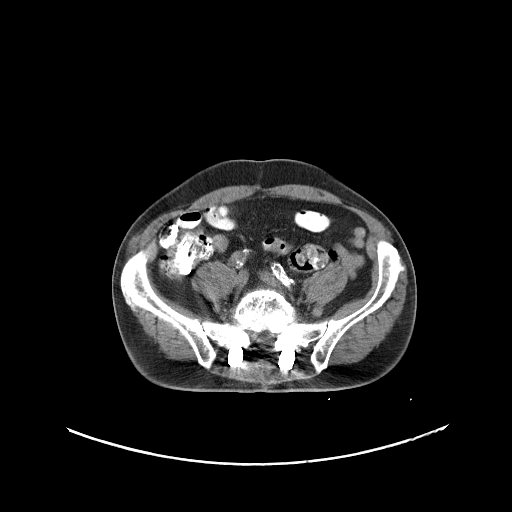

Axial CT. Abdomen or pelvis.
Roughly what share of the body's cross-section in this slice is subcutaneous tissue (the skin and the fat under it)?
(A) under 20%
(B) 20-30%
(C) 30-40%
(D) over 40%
Answer: (B) 20-30%
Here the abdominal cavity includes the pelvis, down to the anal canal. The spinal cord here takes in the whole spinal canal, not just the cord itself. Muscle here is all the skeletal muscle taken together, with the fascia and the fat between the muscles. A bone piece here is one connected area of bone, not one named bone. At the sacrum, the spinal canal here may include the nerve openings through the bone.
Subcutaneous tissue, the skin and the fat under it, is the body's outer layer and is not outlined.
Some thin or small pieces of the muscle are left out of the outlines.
{"muscle":[[[257,184],[261,187],[302,184],[326,190],[368,212],[390,231],[394,245],[385,239],[379,239],[376,243],[377,281],[373,293],[364,304],[343,317],[316,321],[332,315],[345,303],[362,298],[370,289],[372,282],[372,260],[366,247],[369,235],[366,224],[351,210],[339,204],[319,200],[291,198],[284,195],[273,196],[258,191],[227,203],[215,204],[206,208],[180,213],[169,219],[157,231],[157,250],[151,263],[151,272],[153,281],[159,291],[168,299],[203,317],[213,320],[219,321],[232,308],[231,322],[201,320],[198,317],[190,317],[167,304],[151,285],[147,268],[148,252],[146,249],[140,249],[131,255],[122,267],[130,238],[158,216],[186,205],[202,195],[221,187]],[[212,342],[231,351],[237,349],[242,352],[242,348],[253,345],[270,349],[273,352],[280,351],[282,354],[291,352],[294,355],[299,347],[305,349],[313,342],[309,354],[309,362],[316,375],[306,379],[262,385],[211,373],[208,370],[212,367],[217,357]],[[406,266],[407,285],[404,305],[393,327],[385,336],[385,338],[378,346],[376,346],[365,357],[359,361],[352,363],[333,364],[328,366],[331,354],[341,337],[353,325],[380,308],[384,304],[391,296],[396,286],[399,274],[406,269]],[[127,305],[133,312],[137,308],[147,311],[158,319],[168,323],[174,329],[177,330],[191,347],[195,355],[196,362],[192,360],[184,361],[177,359],[170,359],[158,351],[155,347],[155,345],[148,338],[144,332],[142,326],[138,323],[136,318],[128,308]],[[215,260],[218,260],[222,262],[228,267],[232,268],[236,272],[237,283],[231,290],[231,292],[225,297],[221,298],[220,299],[212,299],[211,300],[210,299],[208,299],[200,292],[196,291],[192,286],[191,280],[196,270],[202,264],[206,262],[214,261]],[[330,265],[338,265],[340,266],[341,269],[345,272],[347,279],[343,289],[335,297],[323,305],[319,306],[316,305],[314,302],[306,299],[307,298],[306,295],[302,291],[302,284],[303,283],[302,282],[306,278],[311,276],[316,272],[319,272],[325,269]]],"torso":[[[273,158],[305,161],[325,169],[370,200],[395,225],[412,259],[417,284],[416,319],[406,353],[399,363],[381,378],[359,387],[334,391],[185,391],[148,382],[136,371],[126,353],[117,328],[111,298],[112,268],[125,232],[150,203],[196,171],[223,160]]],"abdominal_cavity":[{"outer":[[258,192],[273,197],[335,204],[357,215],[368,230],[365,247],[371,260],[371,282],[366,293],[315,321],[297,311],[284,294],[271,287],[247,291],[219,320],[203,316],[164,295],[154,281],[152,272],[158,250],[157,233],[162,226],[180,214],[227,204]],"hole":[[215,260],[218,260],[222,262],[228,267],[232,268],[236,272],[237,283],[231,290],[231,292],[225,297],[221,298],[220,299],[212,299],[211,300],[210,299],[208,299],[200,292],[196,291],[192,286],[191,280],[196,270],[202,264],[206,262],[214,261]]}],"bones":[[[379,240],[405,269],[318,374],[313,341],[294,354],[273,351],[268,330],[248,332],[242,351],[212,341],[206,369],[177,329],[133,311],[120,288],[126,261],[146,250],[152,289],[190,318],[231,323],[243,295],[271,288],[298,322],[336,320],[374,293]]],"spinal_cord":[[[263,331],[268,331],[271,334],[275,334],[276,335],[274,337],[274,340],[272,343],[272,347],[271,348],[264,348],[263,347],[259,347],[256,345],[252,344],[250,342],[250,338],[248,335],[248,333],[252,332],[253,334],[256,334],[257,333],[260,333]]]}